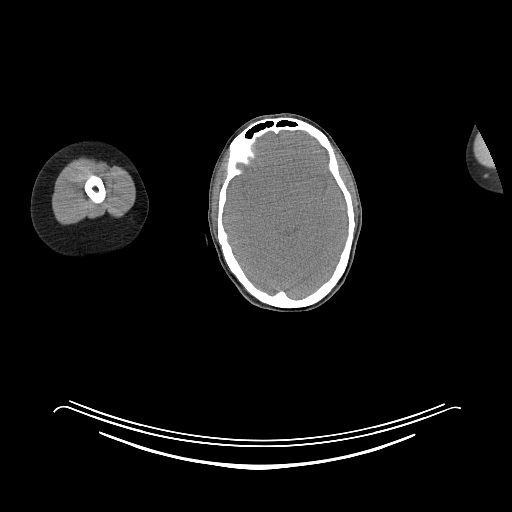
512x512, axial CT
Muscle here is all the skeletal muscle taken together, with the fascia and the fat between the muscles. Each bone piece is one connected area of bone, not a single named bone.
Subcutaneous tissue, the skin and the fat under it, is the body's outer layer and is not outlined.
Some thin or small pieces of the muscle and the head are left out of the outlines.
The bones appear in 2 outlined pieces: piece 1: (276, 117) (292, 117) (305, 121) (326, 135) (333, 148) (340, 176) (351, 196) (353, 207) (354, 234) (344, 272) (325, 296) (315, 303) (302, 307) (278, 307) (264, 303) (250, 294) (229, 269) (217, 238) (219, 193) (227, 174) (229, 144) (251, 123) (265, 118), around holes outlined by (281, 131) (302, 131) (326, 151) (327, 169) (342, 194) (347, 217) (346, 237) (331, 274) (301, 297) (291, 297) (282, 289) (270, 293) (255, 285) (236, 258) (223, 223) (228, 186) (234, 177) (243, 173) (238, 164) (247, 166) (256, 156) (253, 146) (259, 138) (268, 132) and by (267, 123) (270, 123) (270, 124) (269, 125) (265, 125) (263, 127) (262, 127) (259, 129) (254, 130) (249, 136) (248, 135) (248, 133) (251, 130) (253, 130) (254, 129) (254, 128) (255, 128) (257, 126) (258, 126) (259, 125) (261, 125) (262, 124) (266, 124); piece 2: (92, 174) (94, 175) (96, 175) (101, 178) (103, 182) (104, 187) (105, 188) (105, 197) (103, 201) (102, 201) (100, 203) (95, 203) (93, 202) (87, 195) (84, 189) (84, 184) (86, 180) (88, 178) (88, 177). The right arm is outlined by (84, 139) (97, 139) (108, 142) (120, 149) (130, 158) (137, 168) (145, 185) (149, 199) (149, 210) (145, 223) (140, 233) (131, 243) (123, 249) (99, 257) (76, 258) (64, 257) (50, 250) (37, 236) (32, 226) (30, 218) (30, 197) (35, 179) (47, 159) (63, 146). The muscle appears in 4 outlined pieces: piece 1: (80, 156) (94, 158) (97, 160) (104, 160) (111, 164) (119, 165) (131, 175) (136, 188) (136, 200) (132, 208) (124, 216) (120, 218) (110, 217) (105, 219) (84, 219) (78, 223) (71, 225) (61, 225) (55, 220) (51, 208) (51, 196) (55, 179) (61, 169) (69, 161), around a hole outlined by (92, 174) (94, 175) (96, 175) (101, 178) (103, 182) (104, 187) (105, 188) (105, 197) (103, 201) (102, 201) (100, 203) (95, 203) (93, 202) (87, 195) (84, 189) (84, 184) (86, 180) (88, 178) (88, 177); piece 2: (227, 149) (228, 151) (228, 157) (227, 158) (226, 168) (225, 169) (226, 170) (226, 174) (218, 193) (217, 217) (216, 218) (216, 225) (217, 226) (216, 229) (216, 238) (213, 229) (213, 224) (212, 223) (212, 206) (211, 205) (212, 202) (212, 191) (213, 190) (216, 172); piece 3: (332, 144) (338, 151) (344, 161) (353, 182) (353, 185) (356, 194) (356, 198) (357, 199) (357, 206) (358, 207) (358, 220) (357, 221) (357, 225) (356, 226) (355, 228) (355, 231) (355, 227) (356, 223) (354, 219) (354, 207) (352, 202) (352, 196) (346, 186) (344, 180) (341, 176) (338, 161); piece 4: (478, 132) (480, 132) (482, 134) (482, 139) (485, 143) (489, 151) (489, 153) (492, 159) (492, 161) (495, 165) (495, 168) (493, 170) (491, 170) (489, 168) (487, 168) (479, 164) (477, 162) (477, 161) (474, 157) (474, 155) (473, 154) (473, 143) (476, 137) (476, 134). The brain is outlined by (281, 131) (302, 131) (326, 151) (327, 169) (342, 194) (347, 217) (346, 237) (331, 274) (301, 297) (291, 297) (282, 289) (270, 293) (255, 285) (236, 258) (223, 223) (228, 186) (234, 177) (243, 173) (238, 164) (247, 166) (256, 156) (253, 146) (259, 138) (268, 132). The left arm is outlined by (473, 125) (475, 125) (478, 131) (482, 134) (482, 139) (485, 143) (489, 151) (492, 161) (495, 165) (495, 169) (497, 172) (499, 181) (502, 188) (502, 193) (501, 194) (490, 192) (482, 189) (474, 183) (468, 174) (465, 164) (465, 148) (466, 147) (466, 143) (468, 137). The head is outlined by (280, 112) (305, 116) (317, 122) (332, 136) (353, 172) (362, 207) (361, 231) (353, 264) (345, 282) (328, 301) (314, 309) (300, 312) (272, 311) (260, 308) (247, 301) (225, 274) (219, 263) (207, 219) (210, 177) (214, 164) (227, 139) (240, 125) (249, 119) (263, 114), around a hole outlined by (267, 123) (270, 123) (270, 124) (269, 125) (265, 125) (263, 127) (262, 127) (259, 129) (254, 130) (249, 136) (248, 135) (248, 133) (251, 130) (253, 130) (254, 129) (254, 128) (255, 128) (257, 126) (258, 126) (259, 125) (261, 125) (262, 124) (266, 124).